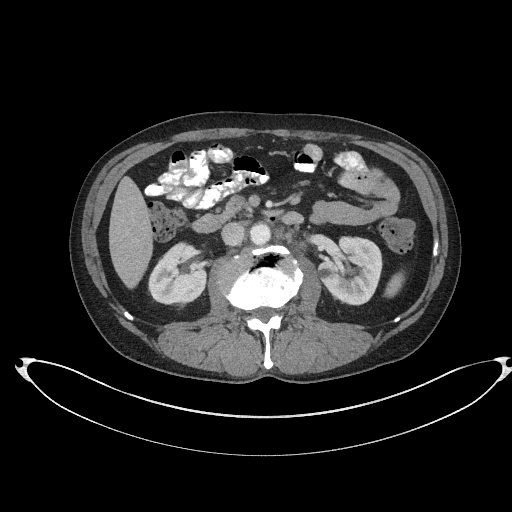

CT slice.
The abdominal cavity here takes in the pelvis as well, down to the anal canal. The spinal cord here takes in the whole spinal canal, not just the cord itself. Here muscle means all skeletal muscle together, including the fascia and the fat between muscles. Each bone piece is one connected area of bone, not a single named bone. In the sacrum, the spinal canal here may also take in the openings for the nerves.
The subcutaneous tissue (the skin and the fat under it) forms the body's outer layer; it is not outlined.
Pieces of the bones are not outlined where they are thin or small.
The bones appear in 2 outlined pieces: piece 1: 265,368 273,365 270,358 270,334 278,330 283,321 283,315 277,312 297,295 303,280 303,272 297,260 284,245 276,243 255,246 234,255 227,259 218,276 220,290 230,305 248,314 245,319 246,327 263,336, around a hole outlined by 264,322 266,322 269,319 269,318 275,313 275,310 274,310 271,308 269,308 268,307 261,307 260,308 255,309 253,311 252,311 252,315 253,316 254,316 255,317 257,317 259,319 260,319 262,321 263,321; piece 2: 130,321 133,321 134,320 134,316 133,316 128,311 127,311 126,310 125,310 123,312 123,315 128,320 129,320. The spinal cord is outlined by 264,322 266,322 269,319 269,318 275,313 275,310 274,310 271,308 269,308 268,307 261,307 260,308 255,309 253,311 252,311 252,315 253,316 254,316 255,317 257,317 259,319 260,319 262,321 263,321. The torso is outlined by 220,384 243,384 268,376 296,384 337,380 399,362 427,340 451,300 461,265 455,205 444,177 427,154 393,132 351,118 212,111 149,126 96,160 78,192 68,239 72,275 88,316 104,340 125,359 171,376. The muscle is outlined by 233,377 247,377 264,368 263,338 245,327 247,314 230,306 219,290 217,276 225,255 215,257 209,268 209,309 203,316 160,325 136,317 130,322 122,315 125,309 103,272 96,231 123,174 177,142 258,133 350,143 402,167 430,222 432,239 439,241 439,254 431,255 424,289 396,324 329,321 316,313 321,284 315,266 302,255 298,262 303,283 298,295 278,312 284,321 271,334 272,368 299,376 358,359 414,323 427,307 446,267 448,228 438,183 419,156 397,143 352,133 213,127 141,142 107,161 89,190 81,225 85,265 95,286 119,323 163,357. The abdominal cavity is outlined by 364,325 382,324 413,305 431,254 430,225 416,191 401,167 388,159 350,144 268,134 177,143 131,168 112,193 97,245 114,295 133,315 160,324 203,315 212,259 276,242 316,266 322,284 320,316.